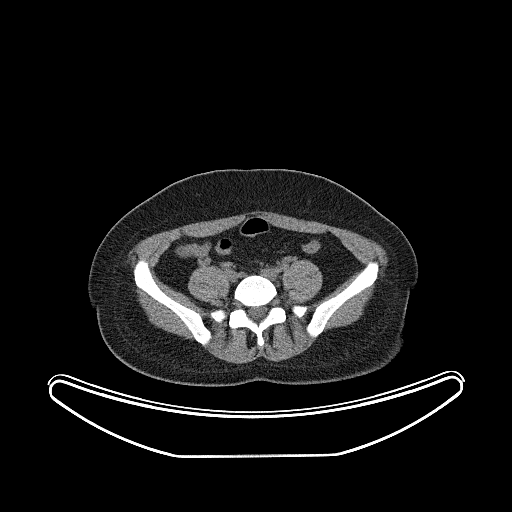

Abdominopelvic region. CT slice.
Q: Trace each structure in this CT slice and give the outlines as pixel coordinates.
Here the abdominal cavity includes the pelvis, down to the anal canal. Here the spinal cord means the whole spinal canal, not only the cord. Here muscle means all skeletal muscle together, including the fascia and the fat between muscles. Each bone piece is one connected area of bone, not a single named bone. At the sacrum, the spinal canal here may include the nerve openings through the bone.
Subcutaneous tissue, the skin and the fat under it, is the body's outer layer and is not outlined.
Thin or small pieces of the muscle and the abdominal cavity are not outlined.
A: The abdominal cavity is outlined by 250,215 286,230 329,232 361,268 306,305 323,283 308,259 295,259 282,274 283,295 253,273 236,284 229,302 223,301 230,288 226,273 201,266 187,288 212,307 203,307 162,281 156,263 180,237 215,235. The torso is outlined by 255,168 299,170 328,178 364,199 404,233 415,253 418,278 409,294 405,342 390,363 364,375 328,383 257,380 233,386 193,386 141,374 108,349 90,305 87,285 94,254 110,228 132,208 173,182 212,170. The spinal cord is outlined by 261,306 264,306 265,307 265,308 266,309 266,314 265,315 265,316 260,321 259,321 258,322 256,322 255,321 254,321 249,316 249,315 248,314 248,312 250,310 250,308 251,308 252,307 260,307. The muscle is outlined by 254,210 272,211 276,213 279,213 288,216 292,216 300,219 317,221 328,225 331,225 340,228 344,228 356,232 363,236 370,238 380,244 386,251 388,257 388,264 385,269 385,274 382,279 378,282 374,290 373,295 368,301 366,306 364,308 364,312 363,314 360,318 356,321 353,322 351,324 345,326 340,326 328,330 322,334 308,349 302,353 296,355 291,358 285,360 281,360 280,361 271,361 263,357 259,357 247,363 235,364 214,357 194,341 184,339 182,337 180,337 175,334 167,332 158,327 156,327 152,324 148,320 144,311 137,301 137,298 136,297 137,296 136,293 134,291 133,280 132,277 130,275 130,268 127,264 124,263 124,261 129,250 136,243 140,240 152,234 158,233 161,231 164,231 165,230 169,230 182,225 185,225 194,222 212,220 217,218 222,218 223,217 227,217 232,215 237,215 248,211 253,211 with holes at 250,215 286,230 329,232 362,269 377,262 377,278 312,337 306,326 315,308 360,271 308,303 298,317 291,307 311,300 323,275 312,261 295,259 281,276 285,292 275,298 285,320 262,331 260,347 247,327 231,328 227,318 210,316 236,307 233,299 223,301 230,286 222,269 197,267 187,281 189,292 211,308 162,281 155,270 173,241 218,234 and at 139,259 144,259 147,262 148,267 154,281 158,287 165,294 182,305 199,313 205,326 211,333 211,338 205,345 202,345 199,342 196,341 192,333 182,320 173,311 154,299 136,285 134,281 133,269 136,262. The bones appear in 4 outlined pieces: piece 1: 253,274 261,275 273,283 277,291 275,299 286,312 283,322 274,323 262,331 262,347 257,344 256,334 247,327 231,328 227,318 218,322 210,316 211,311 215,309 223,309 228,313 235,308 234,290 237,284, around a hole outlined by 261,306 264,306 265,307 265,308 266,309 266,314 265,315 265,316 260,321 259,321 258,322 256,322 255,321 254,321 249,316 249,315 248,314 248,312 250,310 250,308 251,308 252,307 260,307; piece 2: 139,259 144,259 147,262 148,267 154,281 158,287 165,294 182,305 199,313 205,326 211,333 211,338 205,345 202,345 199,342 196,341 192,333 182,320 173,311 154,299 136,285 134,281 133,269 136,262; piece 3: 370,261 375,261 377,262 378,264 378,274 375,281 370,286 365,288 359,293 346,300 331,315 321,333 316,337 310,336 306,330 306,326 308,324 315,308 323,301 325,301 335,296 343,290 355,278 368,262; piece 4: 293,305 305,305 306,306 307,306 307,309 306,310 306,311 304,313 304,314 301,317 298,317 297,316 296,316 292,312 292,311 291,310 291,307.